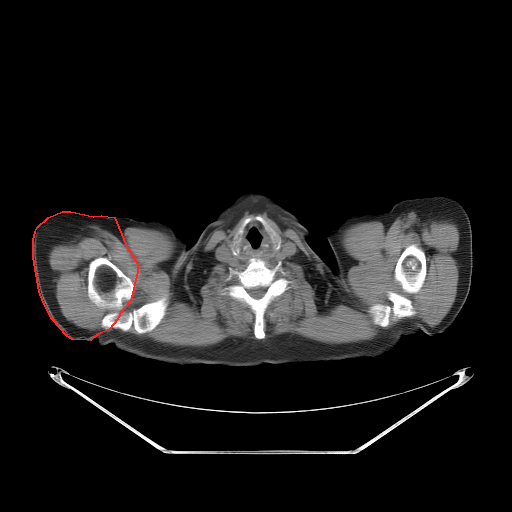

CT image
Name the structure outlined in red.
red: right arm.
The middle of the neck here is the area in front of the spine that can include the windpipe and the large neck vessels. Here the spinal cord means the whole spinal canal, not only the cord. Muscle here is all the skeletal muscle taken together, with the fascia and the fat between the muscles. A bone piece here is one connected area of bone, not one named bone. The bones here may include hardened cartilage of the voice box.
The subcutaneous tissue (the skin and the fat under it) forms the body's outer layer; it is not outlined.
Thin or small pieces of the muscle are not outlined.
Outlined structures:
right arm: 62 211; 70 211; 93 216; 101 215; 114 217; 125 244; 137 263; 137 271; 130 301; 119 314; 117 319; 109 329; 96 335; 90 340; 72 339; 67 336; 52 319; 43 302; 39 291; 33 257; 33 240; 35 231; 37 227; 48 217
muscle: 252 197; 301 232; 312 261; 336 286; 347 282; 352 261; 340 243; 347 227; 373 220; 388 225; 411 210; 451 219; 460 234; 451 308; 434 327; 405 318; 357 342; 325 343; 289 332; 263 339; 269 304; 292 282; 281 260; 272 268; 266 261; 291 258; 298 250; 256 214; 215 251; 220 262; 247 262; 242 270; 227 268; 224 280; 236 276; 237 282; 219 294; 249 307; 256 339; 174 346; 126 332; 151 332; 166 315; 169 297; 125 310; 135 285; 105 256; 89 261; 86 293; 111 310; 100 321; 103 329; 76 326; 55 296; 50 246; 89 225; 117 236; 133 226; 166 232; 176 243; 174 258; 183 252; 190 258 with holes at 410 244; 416 244; 424 251; 425 253; 425 260; 426 261; 426 275; 425 276; 425 279; 421 288; 419 291; 416 293; 407 293; 405 292; 402 289; 400 284; 394 279; 394 270; 395 269; 395 266; 398 260; 398 258; 400 256; 403 250 and at 388 291; 397 292; 410 299; 413 308; 416 313; 410 317; 403 317; 396 321; 391 321; 386 327; 383 328; 378 325; 376 325; 373 322; 372 317; 368 312; 368 308; 369 306; 375 303; 391 306; 392 303; 388 299; 387 296; 387 292
head and neck: 248 189; 256 189; 270 195; 282 206; 293 213; 308 230; 310 235; 307 241; 309 245; 332 269; 329 287; 321 310; 300 332; 261 348; 226 339; 223 334; 198 312; 186 299; 185 259; 187 249; 190 248; 196 242; 203 229; 238 194
middle of the neck: 252 220; 257 220; 263 225; 276 251; 281 249; 284 240; 288 240; 295 246; 296 252; 291 257; 276 260; 250 257; 247 261; 238 263; 220 261; 216 251; 223 246; 230 245; 231 254; 233 256; 238 256; 240 254; 239 246; 244 228
left arm: 436 195; 446 196; 456 200; 462 205; 469 217; 472 231; 471 285; 461 310; 452 324; 443 332; 431 336; 419 331; 415 334; 403 336; 380 323; 351 299; 332 268; 334 256; 326 235; 331 226; 335 226; 350 214; 387 212; 399 201
torso: 120 216; 166 223; 186 240; 185 299; 226 340; 261 349; 300 333; 322 310; 333 270; 357 306; 402 337; 393 349; 372 358; 255 366; 179 365; 141 357; 112 343; 99 345; 94 338; 109 330; 131 301; 138 271; 138 263; 115 219
bones 1: 97 257; 107 258; 133 283; 134 292; 132 297; 122 302; 125 311; 131 311; 165 296; 168 297; 165 315; 151 331; 137 333; 133 327; 123 331; 118 328; 104 329; 101 326; 103 317; 112 310; 96 305; 87 293; 88 265; 90 261
bones 2: 250 258; 264 260; 271 269; 281 261; 287 273; 284 277; 291 282; 268 304; 263 315; 265 337; 262 339; 254 335; 255 315; 250 307; 227 294; 220 294; 221 289; 238 282; 236 275; 229 281; 225 280; 229 274; 228 268; 242 271; inner edge: 259 286; 261 286; 262 287; 266 287; 266 290; 265 291; 265 292; 264 293; 264 294; 261 297; 260 297; 259 298; 255 298; 254 297; 253 297; 252 296; 251 296; 247 291; 247 289; 249 289; 250 288; 253 288; 254 287; 258 287
bones 3: 410 244; 416 244; 424 251; 425 253; 425 260; 426 261; 426 275; 425 276; 425 279; 421 288; 419 291; 416 293; 407 293; 405 292; 402 289; 400 284; 394 279; 394 270; 395 269; 395 266; 398 260; 398 258; 400 256; 403 250
bones 4: 388 291; 397 292; 410 299; 413 308; 416 313; 410 317; 403 317; 396 321; 391 321; 386 327; 383 328; 378 325; 376 325; 373 322; 372 317; 368 312; 368 308; 369 306; 375 303; 391 306; 392 303; 388 299; 387 296; 387 292
bones 5: 256 215; 260 215; 265 219; 267 223; 280 237; 281 240; 280 249; 276 250; 274 248; 273 243; 264 225; 259 220; 252 219; 243 228; 241 234; 241 240; 238 246; 239 254; 233 255; 231 250; 231 244; 234 235; 244 219; 249 216
spinal cord: 259 286; 261 286; 262 287; 266 287; 266 290; 265 291; 265 292; 264 293; 264 294; 261 297; 260 297; 259 298; 255 298; 254 297; 253 297; 252 296; 251 296; 247 291; 247 289; 249 289; 250 288; 253 288; 254 287; 258 287